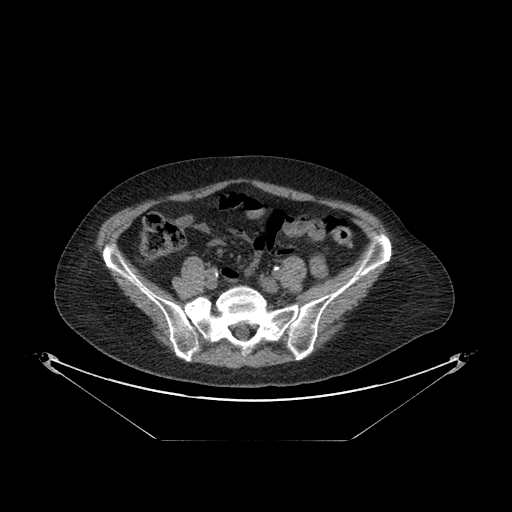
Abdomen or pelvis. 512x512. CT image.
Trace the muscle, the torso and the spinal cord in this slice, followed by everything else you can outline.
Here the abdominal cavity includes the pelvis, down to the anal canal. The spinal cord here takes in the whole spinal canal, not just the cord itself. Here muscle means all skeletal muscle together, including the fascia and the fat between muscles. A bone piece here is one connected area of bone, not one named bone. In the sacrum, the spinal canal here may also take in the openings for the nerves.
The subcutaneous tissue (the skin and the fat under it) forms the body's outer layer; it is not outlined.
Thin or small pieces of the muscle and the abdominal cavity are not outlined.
{"muscle":[[[236,178],[255,179],[355,204],[379,218],[395,235],[398,247],[384,273],[346,326],[309,356],[327,306],[361,277],[389,262],[392,256],[392,243],[384,232],[374,232],[370,241],[361,227],[327,206],[276,195],[247,182],[236,182],[202,197],[156,203],[134,218],[116,243],[106,243],[101,251],[105,266],[137,287],[157,306],[166,322],[175,356],[157,343],[147,319],[100,263],[95,241],[102,223],[114,213],[147,199]],[[285,332],[287,335],[286,347],[292,354],[294,361],[269,366],[242,366],[238,368],[229,368],[225,366],[192,362],[193,355],[200,349],[199,335],[211,343],[225,339],[234,346],[239,347],[240,353],[244,357],[249,354],[261,341],[276,342]],[[369,242],[364,256],[352,276],[334,291],[299,305],[296,302],[297,294],[290,292],[281,283],[280,270],[282,262],[291,256],[299,257],[305,265],[306,274],[301,287],[301,290],[305,291],[315,284],[322,283],[334,277],[343,269],[352,265]],[[121,251],[143,276],[167,291],[178,300],[179,297],[172,285],[172,279],[174,276],[180,275],[183,262],[186,258],[190,256],[196,256],[203,262],[203,268],[205,271],[201,291],[192,299],[188,300],[183,306],[164,298],[148,288],[138,278],[127,264]]],"torso":[[[243,154],[279,155],[318,163],[359,181],[377,194],[446,268],[455,294],[454,308],[447,322],[352,372],[312,383],[261,387],[217,387],[153,375],[115,360],[75,333],[62,320],[55,307],[54,274],[65,245],[91,207],[114,186],[148,168],[194,157]]],"spinal_cord":[[[233,324],[235,324],[236,325],[247,325],[249,327],[253,327],[254,326],[256,326],[257,327],[257,329],[255,331],[255,332],[252,335],[251,335],[247,339],[240,339],[239,338],[236,337],[233,334],[233,333],[231,331],[231,329],[230,328],[230,326]]],"abdominal_cavity":[[[236,183],[327,207],[361,228],[369,241],[352,264],[305,290],[304,261],[297,255],[284,259],[279,280],[296,296],[276,308],[247,284],[227,288],[213,302],[196,296],[206,271],[190,255],[171,279],[178,299],[139,271],[118,238],[156,204],[202,198]]],"bones":[{"outer":[[381,232],[391,243],[389,261],[326,306],[313,350],[300,360],[285,331],[244,356],[225,338],[211,342],[199,334],[191,362],[179,358],[158,306],[102,258],[104,246],[115,243],[148,289],[181,307],[198,296],[213,303],[247,285],[276,309],[334,292]],"hole":[[233,324],[235,324],[236,325],[247,325],[249,327],[253,327],[254,326],[256,326],[257,327],[257,329],[255,331],[255,332],[252,335],[251,335],[247,339],[240,339],[239,338],[236,337],[233,334],[233,333],[231,331],[231,329],[230,328],[230,326]]}]}